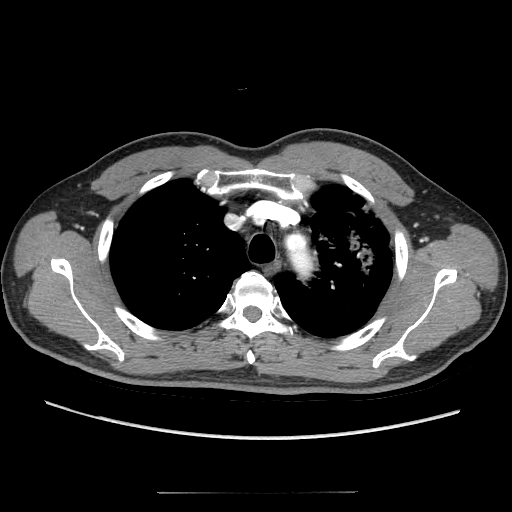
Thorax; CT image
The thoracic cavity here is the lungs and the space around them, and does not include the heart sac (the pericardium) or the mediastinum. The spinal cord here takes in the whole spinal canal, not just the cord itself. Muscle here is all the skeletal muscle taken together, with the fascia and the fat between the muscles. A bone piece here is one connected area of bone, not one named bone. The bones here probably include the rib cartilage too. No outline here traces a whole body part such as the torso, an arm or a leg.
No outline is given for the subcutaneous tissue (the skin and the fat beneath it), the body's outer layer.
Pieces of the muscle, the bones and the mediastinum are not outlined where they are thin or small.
thoracic cavity 1: (178, 178) (192, 178) (193, 185) (201, 193) (215, 199) (219, 206) (225, 207) (223, 224) (241, 238) (250, 269) (242, 272) (232, 282) (224, 300) (213, 316) (208, 317) (197, 325) (182, 330) (158, 329) (126, 308) (110, 272) (109, 254) (114, 230) (132, 203) (153, 189)
thoracic cavity 2: (323, 183) (342, 184) (366, 199) (387, 228) (394, 253) (392, 279) (373, 317) (357, 330) (335, 338) (319, 337) (301, 329) (284, 308) (274, 285) (278, 274) (291, 272) (297, 281) (307, 287) (320, 270) (319, 254) (310, 225) (316, 210) (310, 197) (318, 190) (319, 184)
mediastinum: (250, 189) (290, 200) (303, 201) (309, 198) (315, 210) (309, 225) (311, 239) (318, 254) (319, 270) (314, 273) (315, 277) (307, 286) (297, 280) (291, 271) (278, 273) (273, 284) (260, 272) (251, 269) (242, 238) (224, 224) (226, 207) (219, 205) (216, 199) (233, 191)
muscle: (312, 140) (365, 150) (399, 174) (414, 191) (398, 213) (415, 248) (444, 239) (458, 222) (481, 230) (496, 250) (498, 281) (483, 294) (479, 320) (419, 361) (351, 383) (274, 376) (252, 365) (131, 374) (28, 312) (15, 244) (31, 217) (54, 210) (62, 230) (88, 239) (101, 221) (97, 257) (125, 306) (113, 310) (144, 339) (162, 341) (161, 329) (182, 331) (215, 316) (214, 328) (250, 342) (264, 332) (289, 340) (300, 329) (333, 339) (332, 351) (366, 343) (387, 319) (371, 320) (393, 278) (405, 276) (409, 240) (398, 227) (392, 240) (375, 198) (351, 175) (318, 183) (309, 173) (261, 167) (204, 167) (177, 178) (169, 169) (142, 184) (115, 227) (110, 202) (90, 189) (107, 167) (149, 148) (208, 144) (256, 162), around holes outlined by (442, 268) (456, 269) (457, 277) (455, 281) (439, 288) (430, 310) (423, 320) (407, 334) (403, 342) (404, 350) (410, 355) (417, 355) (416, 359) (409, 361) (393, 356) (384, 359) (378, 367) (373, 367) (373, 357) (380, 351) (393, 345) (424, 312) (432, 296) (436, 273) and by (52, 258) (64, 258) (69, 262) (72, 270) (73, 289) (76, 297) (89, 316) (123, 350) (123, 361) (120, 361) (110, 350) (87, 350) (82, 346) (82, 343) (95, 343) (98, 338) (98, 333) (74, 301) (71, 295) (68, 279) (64, 275) (52, 270) (50, 263) and by (249, 349) (251, 349) (251, 350) (252, 351) (252, 352) (253, 353) (253, 354) (255, 356) (255, 360) (254, 361) (254, 362) (252, 364) (250, 364) (247, 361) (247, 360) (246, 359) (246, 354) (247, 353) (247, 351)
spinal cord: (249, 306) (254, 306) (255, 307) (256, 307) (257, 308) (258, 308) (260, 310) (260, 316) (259, 317) (259, 318) (258, 319) (257, 319) (255, 321) (250, 321) (244, 315) (244, 314) (243, 313) (243, 312) (244, 311) (244, 309) (246, 307) (248, 307)
bones 1: (249, 270) (254, 270) (260, 273) (274, 286) (283, 308) (298, 326) (299, 329) (289, 339) (276, 332) (264, 331) (256, 335) (250, 341) (248, 337) (238, 329) (223, 329) (213, 326) (218, 319) (218, 317) (215, 315) (215, 312) (225, 300) (233, 282) (242, 273); inner edge: (249, 306) (254, 306) (255, 307) (256, 307) (257, 308) (258, 308) (260, 310) (260, 316) (259, 317) (259, 318) (258, 319) (257, 319) (255, 321) (250, 321) (244, 315) (244, 314) (243, 313) (243, 312) (244, 311) (244, 309) (246, 307) (248, 307)
bones 2: (204, 168) (210, 170) (224, 171) (261, 168) (275, 172) (284, 173) (294, 172) (298, 174) (309, 174) (316, 179) (318, 188) (308, 198) (303, 200) (284, 198) (272, 192) (257, 188) (233, 190) (227, 194) (215, 198) (201, 192) (193, 183) (193, 178) (195, 175)
bones 3: (442, 268) (456, 269) (457, 277) (455, 281) (439, 288) (430, 310) (423, 320) (407, 334) (403, 342) (404, 350) (410, 355) (417, 355) (416, 359) (409, 361) (393, 356) (384, 359) (378, 367) (373, 367) (373, 357) (380, 351) (393, 345) (424, 312) (432, 296) (436, 273)
bones 4: (52, 258) (64, 258) (69, 262) (72, 270) (73, 289) (76, 297) (89, 316) (123, 350) (123, 361) (120, 361) (110, 350) (87, 350) (82, 346) (82, 343) (95, 343) (98, 338) (98, 333) (74, 301) (71, 295) (68, 279) (64, 275) (52, 270) (50, 263)
bones 5: (381, 316) (385, 316) (386, 317) (385, 321) (375, 334) (366, 342) (354, 348) (348, 349) (347, 350) (332, 350) (329, 348) (330, 345) (333, 343) (332, 342) (334, 341) (334, 339) (339, 337) (342, 337) (343, 336) (348, 335) (353, 332) (355, 332) (362, 328) (369, 322)
bones 6: (116, 304) (125, 308) (134, 316) (135, 316) (146, 324) (158, 330) (160, 330) (160, 332) (159, 334) (162, 336) (162, 340) (151, 340) (150, 339) (147, 339) (146, 338) (144, 338) (137, 334) (135, 334) (119, 318) (119, 317) (116, 314) (114, 310) (114, 305)
bones 7: (396, 228) (398, 228) (407, 237) (407, 239) (408, 240) (408, 257) (407, 258) (407, 267) (406, 268) (404, 276) (400, 281) (398, 280) (396, 276) (394, 276) (393, 277) (393, 275) (394, 274) (394, 260) (395, 259) (393, 238) (394, 237) (394, 232)
bones 8: (108, 215) (110, 215) (113, 220) (114, 223) (114, 229) (113, 230) (113, 234) (111, 238) (111, 243) (109, 248) (108, 263) (107, 262) (102, 263) (99, 260) (98, 257) (97, 247) (98, 246) (98, 240) (99, 239) (99, 233) (100, 232) (101, 223) (104, 218)
bones 9: (340, 173) (345, 173) (357, 180) (370, 192) (370, 193) (374, 198) (375, 202) (368, 201) (368, 200) (366, 198) (363, 198) (360, 195) (353, 192) (347, 186) (343, 184) (342, 183) (342, 180) (339, 176) (334, 176) (333, 175) (333, 174) (336, 174) (337, 175)
bones 10: (169, 170) (174, 171) (174, 174) (171, 179) (165, 182) (163, 184) (161, 184) (153, 188) (151, 190) (146, 192) (143, 195) (137, 198) (133, 202) (133, 200) (137, 196) (140, 188) (146, 181) (161, 172) (164, 172) (165, 171) (168, 171)